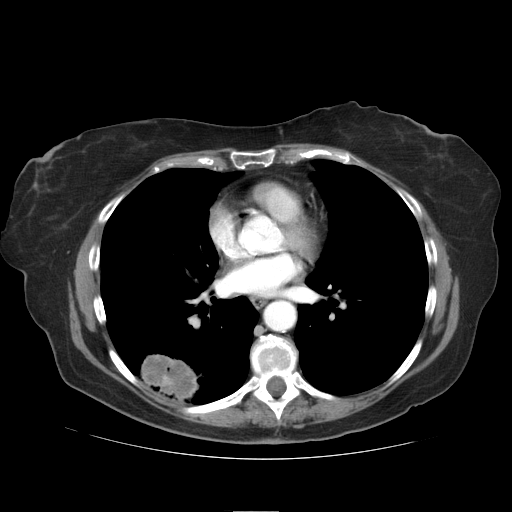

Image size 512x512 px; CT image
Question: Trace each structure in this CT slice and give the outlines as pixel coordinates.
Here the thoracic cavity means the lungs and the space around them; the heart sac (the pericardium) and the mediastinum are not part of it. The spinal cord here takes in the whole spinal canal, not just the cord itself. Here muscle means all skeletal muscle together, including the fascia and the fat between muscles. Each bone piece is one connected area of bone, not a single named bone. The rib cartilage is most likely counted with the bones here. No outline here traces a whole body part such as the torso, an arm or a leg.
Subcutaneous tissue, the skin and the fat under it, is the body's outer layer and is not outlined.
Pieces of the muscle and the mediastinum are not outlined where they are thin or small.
Answer: {"pericardium":[[[259,173],[281,174],[294,179],[310,182],[317,190],[327,212],[327,233],[320,256],[316,261],[313,270],[299,284],[275,297],[262,297],[241,293],[230,284],[228,278],[220,269],[219,256],[210,236],[208,228],[209,210],[220,192],[227,186],[247,176]]],"muscle":[[[416,199],[445,241],[450,266],[458,275],[458,324],[446,347],[431,363],[377,402],[351,415],[300,428],[231,428],[192,422],[143,400],[90,362],[71,339],[68,280],[73,276],[79,247],[100,210],[97,221],[104,225],[100,244],[93,242],[88,251],[89,269],[99,270],[99,292],[94,295],[92,306],[113,344],[107,348],[111,362],[134,386],[140,388],[141,380],[168,398],[190,404],[180,410],[192,415],[240,404],[249,395],[264,403],[277,421],[287,404],[302,392],[336,401],[338,396],[361,393],[384,382],[382,387],[386,388],[417,358],[423,345],[419,334],[436,306],[437,289],[429,284],[429,267],[438,263],[438,252],[434,239],[422,236],[418,221],[423,212]],[[222,147],[233,147],[237,149],[232,149],[225,155],[208,155],[207,154],[186,155],[165,159],[153,165],[149,172],[149,175],[126,195],[125,192],[120,192],[110,199],[116,188],[139,174],[152,162],[163,156],[180,152],[197,151],[205,149],[216,149]],[[350,152],[355,154],[360,158],[370,163],[372,165],[376,167],[378,167],[382,169],[384,171],[394,176],[406,186],[411,194],[405,189],[396,185],[395,185],[393,187],[393,189],[374,173],[366,169],[365,168],[366,166],[357,157],[356,157]]],"mediastinum":[[[301,282],[302,283],[296,298],[296,301],[298,304],[297,305],[297,322],[293,333],[293,341],[281,335],[268,333],[260,336],[253,342],[254,328],[258,322],[259,313],[244,295],[237,295],[230,285],[241,294],[257,296],[262,298],[275,298],[296,287]],[[305,159],[313,159],[311,163],[315,168],[315,170],[309,175],[313,184],[308,180],[294,178],[281,173],[259,172],[247,175],[227,185],[218,194],[223,186],[240,177],[243,174],[242,170],[246,169],[249,166],[257,165],[266,168],[276,163],[293,165]]],"spinal_cord":[[[274,376],[277,376],[278,377],[281,378],[282,379],[282,380],[283,381],[283,382],[285,385],[285,389],[284,390],[284,391],[280,395],[279,395],[278,396],[273,396],[268,391],[268,390],[267,389],[267,384],[268,383],[269,380],[272,377],[273,377]]],"bones":[{"outer":[[268,334],[293,342],[298,351],[296,367],[302,377],[315,388],[337,396],[338,399],[328,400],[302,391],[286,404],[280,420],[264,402],[249,394],[240,403],[205,413],[192,414],[181,410],[182,407],[213,402],[236,391],[252,375],[252,344]],"hole":[[274,376],[277,376],[278,377],[281,378],[282,379],[282,380],[283,381],[283,382],[285,385],[285,389],[284,390],[284,391],[280,395],[279,395],[278,396],[273,396],[268,391],[268,390],[267,389],[267,384],[268,383],[269,380],[272,377],[273,377]]},[[271,147],[280,151],[292,148],[347,151],[365,167],[328,158],[314,157],[305,158],[293,164],[276,161],[266,167],[255,164],[244,169],[236,169],[230,164],[223,170],[207,167],[171,167],[150,175],[153,166],[176,157],[225,156],[232,150],[259,152]],[[418,338],[421,338],[422,339],[422,345],[421,346],[421,348],[416,358],[414,360],[412,364],[408,368],[408,369],[394,382],[393,382],[390,385],[386,387],[383,387],[386,381],[400,366],[400,365],[409,354],[410,351],[412,349],[413,346],[415,344]],[[108,348],[113,348],[115,350],[115,351],[117,353],[119,357],[128,368],[128,369],[138,379],[139,379],[141,383],[140,384],[140,387],[138,387],[134,385],[131,382],[130,382],[117,369],[115,365],[112,362],[108,354]],[[395,186],[399,187],[408,192],[411,195],[412,195],[418,202],[420,206],[421,211],[422,212],[422,216],[419,220],[417,220],[416,219],[416,218],[414,216],[408,206],[405,203],[402,198],[395,191],[394,189],[394,187]],[[120,193],[125,193],[125,196],[119,202],[119,203],[113,210],[113,211],[111,213],[110,216],[108,218],[106,222],[104,224],[101,224],[99,223],[98,221],[98,217],[99,216],[99,214],[102,208],[112,198],[118,195]],[[425,237],[431,237],[434,241],[434,243],[435,244],[435,246],[436,247],[436,251],[437,252],[437,263],[435,265],[434,264],[431,266],[428,266],[428,263],[427,262],[427,257],[426,256],[426,252],[425,251],[425,246],[424,245],[424,238]],[[431,284],[435,286],[435,288],[436,289],[436,299],[435,300],[435,306],[433,310],[433,313],[430,318],[428,319],[426,319],[425,318],[425,306],[426,305],[426,300],[427,299],[427,294],[428,293],[428,288],[429,287],[429,285]],[[98,293],[100,294],[100,296],[101,297],[101,299],[103,303],[103,307],[104,308],[104,311],[105,312],[105,317],[106,318],[105,324],[103,325],[98,321],[96,317],[95,311],[94,310],[94,307],[93,306],[93,299],[95,295],[96,295]],[[93,243],[97,243],[100,245],[100,247],[99,248],[99,267],[98,268],[98,270],[97,271],[94,271],[93,270],[92,270],[91,269],[90,269],[90,268],[89,267],[89,251],[90,250],[90,248],[91,247],[91,246]]],"thoracic_cavity":[[[171,168],[207,168],[223,173],[242,171],[218,191],[208,210],[207,228],[218,256],[217,271],[234,293],[244,296],[258,313],[249,350],[251,375],[233,392],[202,404],[168,397],[129,369],[110,337],[100,293],[100,248],[105,224],[120,202],[142,181]],[[318,158],[364,168],[394,190],[417,221],[428,267],[424,320],[408,354],[385,381],[367,390],[347,395],[320,390],[308,382],[297,367],[299,351],[294,342],[298,322],[297,298],[303,282],[321,256],[329,230],[326,206],[310,177],[316,170],[312,161]]]}